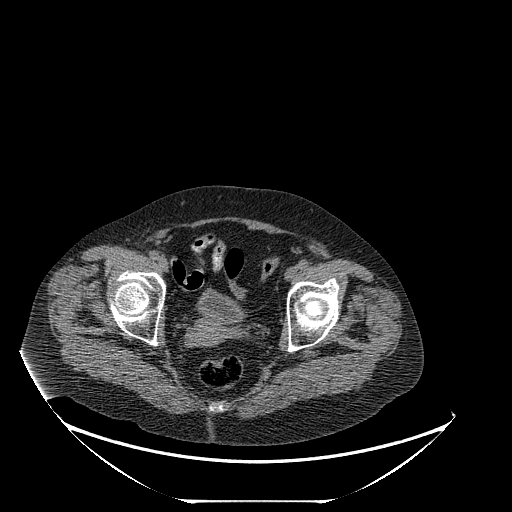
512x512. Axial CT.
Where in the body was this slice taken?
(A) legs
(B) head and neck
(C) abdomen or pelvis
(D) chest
Answer: (C) abdomen or pelvis
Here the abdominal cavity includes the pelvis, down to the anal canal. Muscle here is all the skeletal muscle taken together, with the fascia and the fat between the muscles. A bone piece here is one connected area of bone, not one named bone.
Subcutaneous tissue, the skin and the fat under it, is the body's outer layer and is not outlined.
The muscle is outlined by 226,216 312,237 334,258 365,266 394,289 401,303 402,334 362,387 297,401 254,418 224,412 231,405 224,399 203,406 218,413 172,414 133,391 62,362 46,307 47,284 63,261 92,246 136,241 146,230 with a hole at 225,221 301,240 308,252 282,278 323,283 334,277 339,316 321,341 293,352 286,351 285,317 279,353 254,385 214,398 174,367 164,306 152,346 117,325 108,294 125,270 162,276 169,269 162,248 168,231. The bones appear in 3 outlined pieces: piece 1: 125,270 144,271 145,272 154,271 160,274 165,281 166,293 163,307 160,313 157,333 158,342 157,346 152,346 142,340 126,334 117,325 110,310 108,302 108,294 114,287 114,284 116,282 116,278 118,275; piece 2: 331,277 334,277 339,284 339,290 337,298 339,304 339,316 336,323 330,329 326,336 315,345 305,348 301,348 293,352 286,351 287,348 286,294 288,289 292,283 297,281 312,281 316,283 323,283; piece 3: 219,400 224,400 226,402 229,402 230,403 230,405 229,406 229,407 225,411 224,411 223,412 220,412 219,413 218,412 210,412 209,411 208,411 207,410 204,409 204,406 208,402 210,402 211,401 218,401. The torso is outlined by 204,185 268,188 299,195 323,207 371,244 398,276 419,327 424,364 417,383 348,428 305,441 258,446 179,440 147,432 132,421 108,417 66,396 43,397 21,357 20,346 35,292 46,272 94,229 162,196. The abdominal cavity is outlined by 225,221 243,224 250,230 298,238 308,252 289,264 282,277 291,284 285,294 279,353 247,391 214,398 194,389 176,370 168,353 164,306 167,284 163,273 169,269 169,255 162,248 162,241 174,228 193,228.